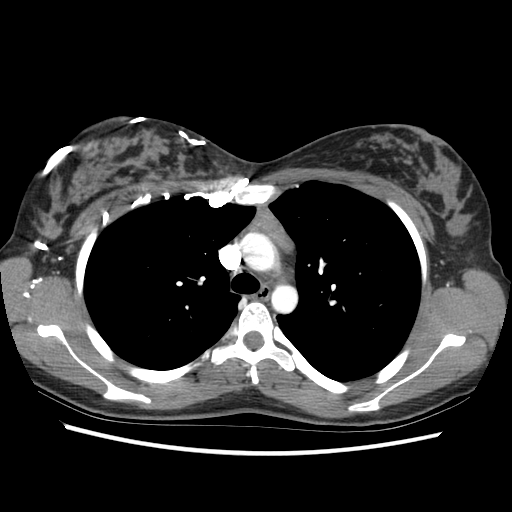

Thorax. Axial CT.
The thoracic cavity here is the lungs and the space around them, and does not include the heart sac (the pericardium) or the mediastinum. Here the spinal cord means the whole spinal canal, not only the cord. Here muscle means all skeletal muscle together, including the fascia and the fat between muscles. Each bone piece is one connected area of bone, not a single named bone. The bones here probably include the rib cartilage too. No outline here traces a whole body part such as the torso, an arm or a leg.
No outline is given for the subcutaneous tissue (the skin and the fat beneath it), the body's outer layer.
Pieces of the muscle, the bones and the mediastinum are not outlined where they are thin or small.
{"bones":[{"outer":[[252,301],[265,305],[283,334],[316,370],[350,384],[347,391],[331,392],[297,369],[285,370],[271,358],[256,364],[256,384],[251,382],[249,366],[238,357],[218,365],[208,359],[167,383],[149,383],[127,373],[127,364],[165,371],[196,359],[221,338]],"hole":[[252,331],[255,331],[256,332],[258,332],[261,335],[262,337],[262,339],[263,340],[263,343],[262,345],[260,347],[256,349],[251,349],[249,348],[244,343],[244,341],[243,340],[244,339],[244,337],[245,335],[249,332],[251,332]]},[[39,324],[58,325],[70,347],[82,361],[118,387],[143,394],[150,398],[151,402],[145,403],[136,400],[110,400],[104,398],[102,394],[107,389],[105,383],[83,367],[70,354],[67,348],[57,337],[53,335],[45,337],[40,336],[37,332],[37,326]],[[447,333],[465,336],[464,343],[460,346],[447,346],[442,349],[424,370],[385,394],[379,400],[379,404],[381,406],[379,409],[371,411],[349,411],[347,409],[347,407],[353,403],[363,402],[374,398],[391,385],[418,369],[427,361],[439,345],[443,336]],[[387,199],[391,199],[395,201],[405,210],[413,221],[423,241],[425,251],[426,252],[427,272],[426,273],[426,280],[425,283],[422,284],[421,286],[421,269],[420,268],[420,263],[419,262],[419,259],[415,246],[404,224],[393,210],[386,204],[385,202]],[[249,184],[271,184],[273,185],[278,190],[283,190],[282,192],[273,200],[268,200],[267,201],[264,201],[261,203],[257,203],[254,205],[244,205],[243,204],[238,204],[234,202],[231,202],[229,200],[229,198],[238,191],[239,191],[244,186],[248,185]],[[94,226],[97,227],[98,235],[90,251],[85,266],[85,273],[83,279],[83,298],[82,299],[79,297],[77,292],[76,280],[75,279],[75,267],[76,266],[76,261],[78,256],[78,252],[81,246],[81,244],[86,236],[90,232],[91,229]],[[407,346],[409,347],[410,351],[406,360],[404,362],[403,365],[400,368],[400,369],[394,375],[393,375],[386,381],[382,383],[379,383],[378,384],[375,383],[374,382],[374,379],[375,378],[375,376],[374,375],[386,365],[387,365],[405,347]],[[85,322],[89,322],[95,328],[100,336],[109,346],[109,347],[113,351],[113,352],[118,357],[117,358],[117,361],[115,362],[110,362],[108,361],[105,358],[104,358],[94,347],[94,346],[90,341],[85,331],[85,328],[84,327],[84,323]]],"thoracic_cavity":[[[309,180],[344,184],[385,203],[406,229],[414,246],[419,263],[419,306],[401,350],[373,375],[347,382],[330,378],[316,369],[284,334],[276,319],[278,315],[291,314],[299,303],[296,279],[298,252],[295,242],[269,205],[284,190],[291,188],[295,184]],[[197,191],[208,196],[225,192],[231,203],[255,209],[248,223],[217,250],[219,263],[228,274],[228,289],[240,296],[238,313],[212,346],[187,363],[165,370],[132,364],[114,352],[94,326],[87,309],[84,279],[91,251],[102,230],[128,211]]],"muscle":[{"outer":[[285,167],[361,170],[395,181],[420,202],[432,221],[435,241],[433,244],[428,244],[428,250],[430,279],[434,288],[445,286],[461,287],[462,273],[468,268],[479,268],[495,277],[504,294],[504,315],[495,347],[490,358],[481,367],[443,387],[419,397],[385,407],[379,413],[361,413],[341,418],[328,418],[304,412],[295,406],[266,396],[254,387],[245,388],[238,392],[228,392],[178,409],[142,409],[119,402],[104,402],[94,391],[55,377],[34,366],[18,351],[8,321],[3,296],[2,274],[0,273],[1,260],[25,254],[32,262],[35,274],[64,275],[72,278],[75,255],[69,240],[69,230],[79,212],[89,201],[122,186],[158,181],[203,182],[237,175],[256,179]],"holes":[[[309,180],[395,201],[423,241],[426,280],[402,346],[409,354],[394,375],[378,384],[374,375],[348,381],[351,388],[334,393],[265,358],[256,364],[258,382],[252,384],[249,366],[232,357],[218,365],[208,359],[167,383],[149,383],[127,373],[126,360],[110,362],[94,347],[84,327],[94,324],[75,279],[79,249],[94,226],[99,234],[128,211],[171,196],[200,191],[208,196],[225,192],[229,198],[249,184],[285,190]],[[39,324],[58,325],[70,347],[82,361],[118,387],[143,394],[150,398],[151,402],[145,403],[136,400],[110,400],[104,398],[102,394],[107,389],[105,383],[83,367],[70,354],[67,348],[57,337],[53,335],[45,337],[40,336],[37,332],[37,326]],[[447,333],[465,336],[464,343],[460,346],[447,346],[442,349],[424,370],[385,394],[379,400],[379,404],[381,406],[379,409],[371,411],[349,411],[347,409],[347,407],[353,403],[363,402],[374,398],[391,385],[418,369],[427,361],[439,345],[443,336]]]}],"spinal_cord":[[[252,331],[255,331],[256,332],[258,332],[261,335],[262,337],[262,339],[263,340],[263,343],[262,345],[260,347],[256,349],[251,349],[249,348],[244,343],[244,341],[243,340],[244,339],[244,337],[245,335],[249,332],[251,332]]],"mediastinum":[[[268,201],[271,201],[268,205],[270,210],[294,242],[297,252],[295,279],[298,303],[291,313],[278,314],[276,317],[271,314],[265,304],[257,300],[249,301],[238,310],[241,296],[230,291],[228,271],[218,257],[218,250],[252,219],[256,211],[254,206]]]}